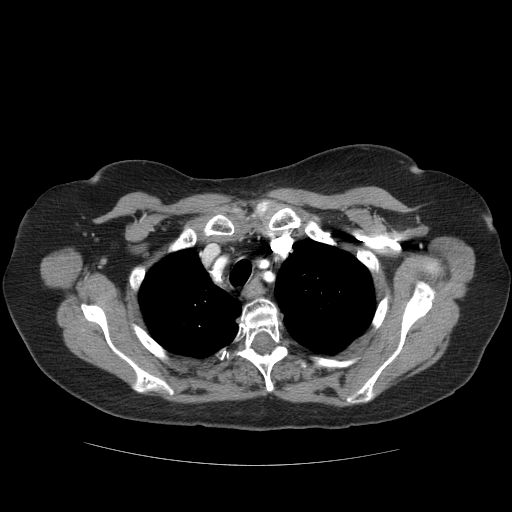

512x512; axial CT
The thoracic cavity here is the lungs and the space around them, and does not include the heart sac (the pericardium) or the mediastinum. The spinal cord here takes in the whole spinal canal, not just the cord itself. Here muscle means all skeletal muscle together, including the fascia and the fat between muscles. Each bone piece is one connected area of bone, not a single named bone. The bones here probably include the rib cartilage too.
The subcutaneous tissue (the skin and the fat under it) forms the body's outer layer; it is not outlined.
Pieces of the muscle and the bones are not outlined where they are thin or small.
{"mediastinum":[[[294,229],[308,237],[297,240],[293,243],[292,250],[279,267],[273,289],[273,295],[276,303],[268,297],[259,296],[243,304],[236,297],[212,280],[201,261],[198,251],[194,246],[198,241],[206,238],[213,238],[221,241],[232,241],[253,232],[289,232]]],"thoracic_cavity":[[[306,238],[327,245],[337,246],[350,252],[368,270],[373,280],[375,298],[377,303],[369,327],[347,347],[332,356],[316,354],[309,349],[302,347],[289,337],[285,330],[282,314],[277,305],[274,295],[275,284],[282,263],[293,250],[294,243]],[[192,247],[194,247],[197,251],[200,261],[211,280],[242,304],[241,313],[235,320],[237,323],[237,330],[230,342],[230,345],[223,346],[218,349],[213,355],[201,359],[172,354],[155,340],[146,329],[146,325],[137,300],[137,295],[147,270],[167,254]]],"muscle":[{"outer":[[364,185],[383,188],[410,207],[422,204],[416,212],[419,221],[429,227],[430,238],[458,237],[475,254],[471,287],[460,303],[445,352],[431,366],[376,397],[379,376],[401,352],[412,325],[433,305],[436,291],[424,280],[416,282],[405,304],[395,349],[345,397],[349,406],[292,403],[270,393],[202,404],[180,404],[144,394],[161,389],[171,396],[174,389],[113,343],[106,314],[96,303],[82,302],[83,316],[101,328],[109,348],[134,371],[130,388],[65,345],[55,318],[56,296],[43,284],[40,261],[66,245],[75,246],[86,262],[102,256],[124,260],[126,242],[120,219],[100,224],[91,221],[123,195],[144,191],[171,203],[205,192],[247,199],[277,187],[335,193]],"holes":[[[265,199],[312,219],[338,247],[354,255],[359,248],[372,252],[380,264],[373,281],[375,298],[378,302],[386,289],[390,295],[381,325],[370,325],[332,356],[358,360],[347,367],[316,367],[309,358],[316,354],[290,338],[289,353],[271,368],[270,392],[258,368],[240,356],[199,359],[169,352],[164,361],[150,352],[131,326],[146,325],[129,283],[131,269],[142,264],[148,270],[185,226],[203,224],[221,206],[249,212]],[[432,260],[435,260],[437,262],[437,263],[439,265],[439,266],[440,267],[440,269],[441,270],[439,272],[439,273],[438,274],[437,274],[436,275],[435,274],[433,274],[427,268],[427,265]],[[298,357],[301,357],[302,358],[303,358],[304,359],[305,359],[306,360],[306,362],[307,363],[307,365],[304,368],[303,368],[302,367],[301,367],[300,366],[300,365],[298,363],[297,363],[296,362],[296,359]]]},[[233,217],[243,218],[246,220],[256,218],[265,218],[267,219],[266,224],[267,231],[265,232],[263,231],[248,232],[245,235],[232,240],[221,240],[213,237],[207,238],[206,237],[201,240],[198,240],[200,235],[204,237],[232,236],[235,232],[235,224]]],"bones":[[[265,199],[290,206],[304,220],[312,219],[330,234],[336,245],[310,238],[302,227],[268,231],[268,219],[265,217],[246,219],[233,216],[232,235],[200,234],[193,246],[167,253],[169,244],[185,226],[203,224],[219,207],[236,205],[249,212],[256,203]],{"outer":[[259,297],[268,298],[276,304],[289,338],[289,353],[271,368],[270,378],[274,389],[270,392],[266,390],[264,378],[258,368],[247,359],[236,356],[229,360],[220,360],[214,355],[221,348],[231,345],[238,330],[236,320],[242,313],[243,305]],"hole":[[260,333],[266,333],[271,338],[271,339],[273,341],[273,342],[274,343],[274,346],[270,352],[268,352],[267,353],[264,353],[263,354],[261,354],[260,353],[257,352],[252,346],[252,344],[253,343],[253,341],[254,340],[255,337],[258,334],[259,334]]},[[418,281],[426,282],[435,291],[430,309],[425,315],[417,319],[411,325],[406,333],[405,340],[400,352],[378,376],[373,386],[375,396],[371,400],[364,403],[349,403],[346,400],[346,397],[359,389],[396,349],[400,340],[402,316],[406,304],[410,299]],[[82,303],[96,304],[99,306],[105,314],[109,337],[112,343],[142,369],[162,378],[173,389],[173,394],[170,395],[161,388],[159,391],[145,393],[132,389],[130,386],[136,378],[135,371],[110,348],[102,328],[96,322],[89,321],[85,318],[81,308]],[[132,322],[136,323],[140,327],[141,327],[143,329],[145,329],[149,334],[149,335],[168,352],[168,355],[169,356],[169,360],[168,361],[164,361],[160,359],[151,352],[150,352],[141,343],[141,342],[134,333],[134,331],[131,326],[131,323]],[[313,355],[318,355],[319,356],[324,356],[325,357],[332,357],[338,360],[349,359],[354,357],[359,357],[359,359],[347,367],[342,367],[341,368],[337,368],[336,367],[334,368],[316,367],[314,366],[313,362],[309,358],[310,356],[312,356]],[[359,248],[360,248],[361,249],[364,249],[365,250],[369,250],[371,252],[372,252],[377,257],[377,258],[379,261],[379,263],[380,264],[380,270],[377,274],[375,280],[374,280],[373,279],[369,270],[356,257],[356,256],[355,255],[357,252],[357,250]],[[386,289],[388,289],[389,291],[389,294],[390,295],[389,301],[388,302],[388,309],[386,312],[386,314],[384,317],[384,319],[381,325],[378,328],[376,329],[373,329],[371,326],[371,321],[374,315],[374,313],[376,310],[377,304],[378,302],[385,295]],[[138,264],[142,264],[146,268],[146,272],[145,273],[144,278],[140,285],[140,287],[137,292],[137,294],[136,295],[134,295],[133,294],[133,292],[132,291],[131,286],[129,283],[129,274],[130,273],[130,271],[131,270],[131,269],[135,265],[137,265]],[[432,260],[435,260],[437,262],[437,263],[439,265],[439,266],[440,267],[440,269],[441,270],[439,272],[439,273],[438,274],[437,274],[436,275],[435,274],[433,274],[427,268],[427,265]]],"torso":[[[353,143],[387,145],[420,168],[455,176],[473,187],[491,211],[510,267],[507,302],[478,367],[451,396],[377,424],[250,431],[118,418],[69,394],[37,366],[8,313],[2,280],[18,225],[48,188],[87,178],[124,159],[158,161],[198,178],[240,177]]],"spinal_cord":[[[260,333],[266,333],[271,338],[271,339],[273,341],[273,342],[274,343],[274,346],[270,352],[268,352],[267,353],[264,353],[263,354],[261,354],[260,353],[257,352],[252,346],[252,344],[253,343],[253,341],[254,340],[255,337],[258,334],[259,334]]]}